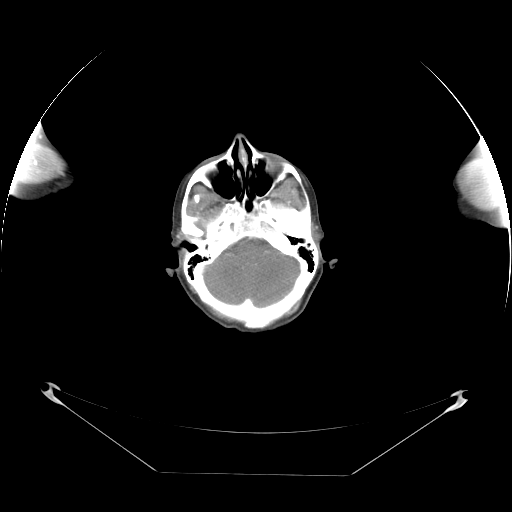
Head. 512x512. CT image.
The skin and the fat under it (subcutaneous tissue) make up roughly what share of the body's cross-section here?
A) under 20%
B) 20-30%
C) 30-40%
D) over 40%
B) 20-30%
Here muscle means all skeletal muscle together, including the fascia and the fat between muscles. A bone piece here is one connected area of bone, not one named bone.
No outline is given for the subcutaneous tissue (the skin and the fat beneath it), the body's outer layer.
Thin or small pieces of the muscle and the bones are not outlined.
The brain is outlined by 244,238 263,240 282,254 293,258 297,262 298,273 294,279 292,286 279,299 264,305 257,305 254,303 253,300 250,297 245,297 241,301 237,303 234,303 220,299 209,289 204,276 206,267 212,264 224,251. The muscle appears in 8 outlined pieces: piece 1: 489,149 490,154 498,172 498,175 501,182 501,185 504,192 504,195 507,202 507,205 499,208 489,209 488,210 483,210 478,207 476,207 465,197 459,187 459,184 457,180 457,176 461,167 473,158 485,152; piece 2: 28,134 30,137 34,138 36,140 43,143 53,151 62,161 65,167 65,173 61,179 52,180 47,182 28,182 27,181 22,181 14,178 10,178 13,172 14,167 18,160 20,153 23,148 25,141 28,136; piece 3: 196,183 201,183 204,186 209,189 216,196 225,200 222,206 217,213 216,213 213,216 210,216 206,219 204,218 202,219 198,215 192,215 191,214 189,214 187,212 187,206 188,205 189,195 190,194 192,187; inner edge: 197,193 198,193 199,193 200,194 200,195 200,196 200,197 199,198 199,199 199,200 199,201 198,202 197,202 196,202 195,202 195,201 194,200 194,199 193,198 193,197 193,196 194,195 195,194 196,194; piece 4: 289,174 291,175 298,183 300,187 303,198 304,199 304,205 300,209 298,209 294,206 292,206 288,204 285,204 282,201 278,201 273,199 273,198 276,195 275,190 277,186 282,181 283,181 287,177 287,175; piece 5: 299,172 302,175 307,184 307,189 311,199 312,212 315,218 315,223 317,225 317,238 315,241 313,236 313,232 312,231 312,220 311,219 311,214 312,212 311,211 310,199 309,198 309,195 303,184 303,182; piece 6: 190,175 186,183 185,189 184,190 183,196 182,197 181,203 180,204 180,231 183,234 183,238 182,239 177,237 177,226 178,225 178,207 180,202 180,194 181,193 182,188 184,185 184,183; piece 7: 204,304 209,306 220,314 221,314 226,317 228,317 231,319 233,319 234,320 241,323 238,323 237,322 234,322 233,321 228,321 225,319 223,319 222,318 219,317 217,315 214,314 211,311 210,311; piece 8: 303,296 303,297 302,298 302,300 301,301 301,302 300,303 300,304 298,306 298,307 297,307 296,308 295,308 294,309 294,311 291,313 290,312 290,310 295,305 295,304 297,302 298,302 302,298 302,297. The right arm is outlined by 38,121 50,139 62,149 68,158 74,171 74,180 68,186 59,189 39,199 23,199 14,196 6,192 10,182 10,178 13,172 14,167 18,160 18,158 23,148 23,146 28,136 28,134 30,133. The left arm is outlined by 482,136 489,149 490,154 498,172 498,175 507,202 506,207 509,217 510,223 509,228 510,229 506,229 494,225 489,225 487,223 477,219 467,217 457,211 452,199 453,196 450,190 451,176 456,168 456,166. The bones are outlined by 238,138 247,139 258,151 272,160 276,162 285,160 297,170 308,195 312,236 319,249 318,266 304,294 289,310 290,313 285,313 279,319 261,328 246,327 241,322 220,313 202,302 195,290 186,281 181,263 184,247 188,249 189,253 193,253 197,250 195,244 184,240 184,234 181,231 181,204 187,183 192,173 198,167 219,157 226,151 232,141 with holes at 244,238 263,240 282,254 293,258 297,262 298,273 294,279 292,286 279,299 264,305 257,305 254,303 253,300 250,297 245,297 241,301 237,303 234,303 220,299 209,289 204,276 206,267 212,264 224,251 and at 196,183 201,183 204,186 209,189 216,196 225,200 222,206 217,213 216,213 213,216 210,216 206,219 204,218 202,219 198,215 192,215 191,214 189,214 187,212 187,206 188,205 189,195 190,194 192,187 and at 289,174 291,175 298,183 300,187 303,198 304,199 304,205 300,209 298,209 294,206 292,206 288,204 285,204 282,201 278,201 273,199 273,198 276,195 275,190 277,186 282,181 283,181 287,177 287,175 and at 222,162 224,162 225,165 229,168 232,172 231,179 234,182 235,181 237,182 238,184 237,190 235,191 235,193 231,197 225,197 216,191 214,187 214,180 215,180 220,174 220,167 219,166 220,165 220,163 and at 260,164 262,164 262,166 261,167 261,170 263,172 263,173 265,174 270,179 269,186 267,188 267,189 262,194 258,194 256,193 254,191 252,187 252,182 254,178 255,178 257,176 256,169 257,167 and at 301,247 302,247 302,248 304,250 305,250 306,251 307,251 308,252 310,252 311,253 311,258 312,259 312,270 310,270 309,269 309,262 302,255 301,255 301,254 300,253 300,248 and at 194,256 199,256 199,258 200,259 202,259 203,258 206,258 206,259 204,260 201,260 199,262 198,262 193,267 192,269 192,276 191,277 188,273 188,269 192,266 192,263 190,262 190,260 and at 235,145 236,145 237,146 237,150 236,151 236,157 237,158 237,160 238,161 238,163 239,164 239,167 236,167 236,166 235,165 235,160 234,159 234,158 233,157 233,149 234,148 234,147 235,146 and at 286,236 288,236 289,237 292,237 293,238 294,238 295,239 302,239 302,241 301,240 297,240 295,242 295,243 294,244 292,244 291,243 291,242 290,241 290,239 288,237 287,237. The head is outlined by 237,131 255,148 277,153 303,170 314,188 326,237 321,253 337,258 334,268 323,266 298,317 256,334 212,321 165,271 178,264 176,252 182,248 197,250 185,240 174,248 170,243 172,205 182,176 226,150; inner edges: 222,162 224,162 225,165 229,168 232,172 231,179 234,182 235,181 237,182 238,184 237,190 235,191 235,193 231,197 225,197 216,191 214,187 214,180 215,180 220,174 220,167 219,166 220,165 220,163, then 260,164 262,164 262,166 261,167 261,170 263,172 263,173 265,174 270,179 269,186 267,188 267,189 262,194 258,194 256,193 254,191 252,187 252,182 254,178 255,178 257,176 256,169 257,167, then 301,247 302,247 302,248 304,250 305,250 306,251 307,251 308,252 310,252 311,253 311,258 312,259 312,270 310,270 309,269 309,262 302,255 301,255 301,254 300,253 300,248, then 194,256 199,256 199,258 200,259 202,259 203,258 206,258 206,259 204,260 201,260 199,262 198,262 193,267 192,269 192,276 191,277 188,273 188,269 192,266 192,263 190,262 190,260, then 235,145 236,145 237,146 237,150 236,151 236,157 237,158 237,160 238,161 238,163 239,164 239,167 236,167 236,166 235,165 235,160 234,159 234,158 233,157 233,149 234,148 234,147 235,146, then 286,236 288,236 289,237 292,237 293,238 294,238 295,239 302,239 302,241 301,240 297,240 295,242 295,243 294,244 292,244 291,243 291,242 290,241 290,239 288,237 287,237.